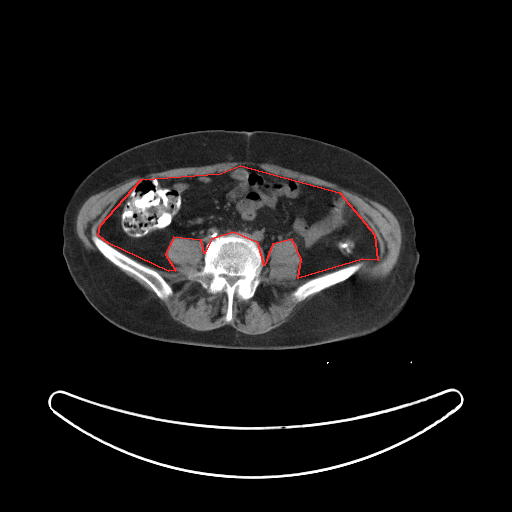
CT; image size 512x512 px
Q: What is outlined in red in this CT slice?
A: red: abdominal cavity.
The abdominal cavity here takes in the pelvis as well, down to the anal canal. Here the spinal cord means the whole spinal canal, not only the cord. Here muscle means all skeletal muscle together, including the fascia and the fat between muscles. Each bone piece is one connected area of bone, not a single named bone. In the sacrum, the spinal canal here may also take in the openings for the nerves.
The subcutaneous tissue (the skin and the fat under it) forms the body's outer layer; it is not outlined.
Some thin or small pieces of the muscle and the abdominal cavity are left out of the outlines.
The abdominal cavity is outlined by 240,165 339,192 374,234 377,260 362,259 298,278 301,259 292,239 272,244 264,265 258,243 233,232 211,239 204,253 201,240 173,237 165,254 175,270 168,271 108,243 98,235 100,225 141,179 220,173. The bones appear in 3 outlined pieces: piece 1: 233,233 241,234 257,243 261,248 263,265 260,273 261,281 253,296 248,299 241,299 235,295 231,308 232,319 227,322 225,319 227,311 225,292 209,293 195,278 190,278 189,275 203,267 207,243 218,236 with a hole at 225,275 227,275 228,276 235,276 236,277 238,277 238,278 237,279 237,280 236,280 232,284 230,284 227,281 227,280 226,279 226,278 224,276; piece 2: 93,235 98,236 108,244 137,262 155,270 161,275 161,276 172,288 173,293 164,300 160,299 153,290 144,281 137,277 134,274 128,271 123,270 121,268 118,267 106,258 99,251 92,241 92,236; piece 3: 357,262 362,262 363,264 357,271 347,279 341,282 336,283 329,287 327,287 318,292 310,294 301,301 296,302 292,299 291,293 298,286 301,285 306,281 312,278 315,278 318,276 321,276 324,274 333,272. The torso is outlined by 204,129 269,130 308,136 346,148 383,171 400,189 411,207 419,252 415,286 401,313 384,328 360,338 287,350 216,348 164,342 129,333 102,317 77,288 62,253 63,213 72,192 95,167 125,149 159,137. The muscle appears in 3 outlined pieces: piece 1: 176,237 202,242 203,265 190,272 188,277 195,279 209,294 224,292 227,323 233,319 235,296 241,300 254,296 262,281 263,267 268,265 268,251 281,240 289,239 296,244 300,259 296,277 307,280 290,293 294,302 338,284 303,302 286,322 262,334 246,334 229,325 195,330 174,320 158,299 164,301 174,293 156,270 176,270 166,254 171,240; piece 2: 227,161 276,164 335,183 386,207 396,217 402,237 398,260 391,273 378,284 357,276 349,278 362,267 364,264 362,260 374,262 378,260 380,246 358,209 343,194 327,186 272,173 251,164 236,165 220,172 175,177 149,175 141,178 117,200 99,225 97,235 91,236 91,241 104,257 87,250 77,235 76,218 79,209 90,196 149,171; piece 3: 118,268 121,269 123,271 128,272 134,275 137,278 138,278 140,280 144,282 152,290 152,291 156,295 157,297 154,296 153,294 149,290 143,287 139,283 138,283 131,277 125,274. The spinal cord is outlined by 225,275 227,275 228,276 235,276 236,277 238,277 238,278 237,279 237,280 236,280 232,284 230,284 227,281 227,280 226,279 226,278 224,276.